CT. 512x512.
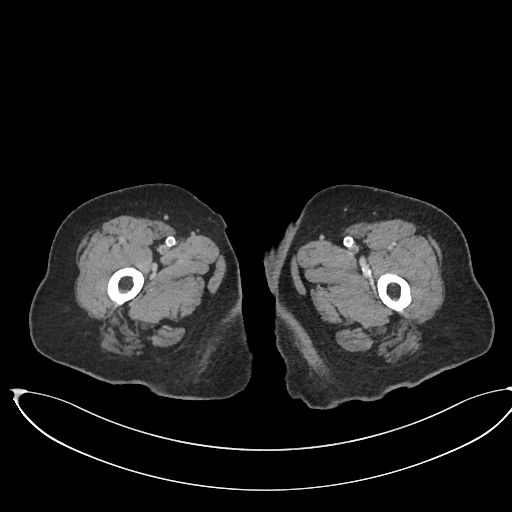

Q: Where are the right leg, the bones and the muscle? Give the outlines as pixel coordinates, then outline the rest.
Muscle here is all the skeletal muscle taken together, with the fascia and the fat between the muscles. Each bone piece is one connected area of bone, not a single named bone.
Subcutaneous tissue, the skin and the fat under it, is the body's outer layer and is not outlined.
A: Outlined structures:
right leg: [[146,183],[170,183],[187,189],[217,212],[227,225],[226,232],[238,258],[241,311],[253,353],[250,380],[243,390],[231,397],[180,399],[154,393],[141,384],[111,384],[51,360],[38,352],[31,341],[30,304],[46,272],[50,246],[63,219],[95,196]]
bones 1: [[123,267],[134,267],[136,269],[139,270],[142,273],[144,277],[144,283],[141,289],[139,291],[139,292],[133,298],[124,302],[120,305],[117,305],[116,306],[115,305],[115,303],[109,297],[107,293],[107,283],[111,275],[116,270],[120,268],[122,268]]
bones 2: [[387,272],[390,272],[391,273],[397,274],[399,276],[405,279],[409,284],[409,286],[410,287],[410,293],[411,294],[411,301],[410,303],[407,306],[406,306],[401,312],[398,312],[387,306],[379,297],[379,294],[376,288],[376,281],[382,274],[384,274]]
muscle 1: [[399,218],[422,225],[432,234],[439,244],[442,251],[442,272],[445,283],[445,298],[443,304],[427,326],[418,351],[411,357],[393,363],[367,363],[358,361],[341,352],[325,336],[294,286],[290,271],[290,261],[294,251],[298,247],[327,233],[365,221]], around a hole outlined by [[387,272],[390,272],[391,273],[397,274],[399,276],[405,279],[409,284],[409,286],[410,287],[410,293],[411,294],[411,301],[410,303],[407,306],[406,306],[401,312],[398,312],[387,306],[379,297],[379,294],[376,288],[376,281],[382,274],[384,274]]
muscle 2: [[121,215],[139,215],[164,220],[203,233],[219,245],[227,259],[227,271],[220,289],[198,323],[182,344],[175,349],[157,356],[127,360],[105,353],[99,344],[95,324],[75,299],[74,284],[79,272],[75,262],[75,252],[80,240],[88,230],[95,225]] with a hole at [[123,267],[134,267],[136,269],[139,270],[142,273],[144,277],[144,283],[141,289],[139,291],[139,292],[133,298],[124,302],[120,305],[117,305],[116,306],[115,305],[115,303],[109,297],[107,293],[107,283],[111,275],[116,270],[120,268],[122,268]]
left leg: [[337,184],[372,186],[414,197],[452,217],[466,238],[473,272],[489,300],[495,330],[484,354],[415,386],[394,389],[374,400],[352,400],[329,409],[312,409],[290,397],[282,377],[283,360],[275,345],[275,300],[266,280],[263,256],[280,240],[310,197]]